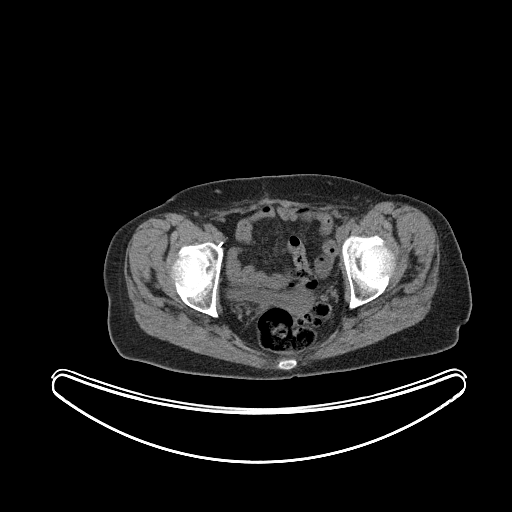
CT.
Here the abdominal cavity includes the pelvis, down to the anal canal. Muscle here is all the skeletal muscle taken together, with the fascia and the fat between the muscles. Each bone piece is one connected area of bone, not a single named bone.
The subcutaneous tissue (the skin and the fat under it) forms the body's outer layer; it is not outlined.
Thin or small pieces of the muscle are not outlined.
Outlined structures:
torso: [[301,173],[345,177],[387,193],[409,195],[432,205],[445,216],[459,244],[472,296],[469,319],[460,327],[454,346],[430,355],[349,371],[280,380],[181,373],[126,359],[116,351],[107,328],[103,264],[108,244],[121,225],[193,185],[235,177]]
bones 1: [[208,241],[213,242],[215,244],[223,241],[222,244],[223,258],[219,274],[219,283],[216,293],[216,310],[218,313],[218,317],[216,318],[188,306],[181,299],[177,293],[174,285],[174,281],[170,274],[171,266],[178,255],[179,249],[183,245],[193,245]]
bones 2: [[376,234],[384,240],[385,245],[395,256],[395,267],[389,279],[388,284],[381,294],[366,303],[364,303],[353,309],[349,309],[350,287],[349,286],[349,281],[347,277],[345,266],[343,262],[343,258],[341,254],[342,243],[350,235],[366,236],[367,237]]
bones 3: [[281,358],[295,358],[297,360],[297,364],[296,365],[296,366],[295,367],[294,367],[293,368],[292,368],[291,369],[289,369],[288,370],[284,370],[283,369],[279,369],[277,367],[277,363],[278,362],[278,361]]
abdominal cavity: [[271,204],[329,210],[337,217],[339,224],[335,235],[341,244],[339,266],[343,278],[342,312],[335,329],[325,339],[302,351],[276,357],[248,345],[230,328],[225,319],[219,290],[224,258],[223,244],[226,238],[219,229],[225,216],[234,213],[243,214]]
muscle: [[298,194],[359,209],[392,201],[413,206],[429,218],[437,233],[440,263],[430,309],[422,320],[375,343],[306,365],[297,366],[295,357],[281,357],[278,369],[196,353],[139,326],[127,293],[124,260],[128,242],[142,222],[167,212],[220,209],[243,200]]; inner edge: [[271,204],[329,210],[339,221],[340,244],[350,235],[376,234],[395,256],[384,291],[349,309],[341,255],[339,323],[325,339],[276,357],[248,345],[230,328],[218,288],[215,318],[188,306],[170,274],[183,245],[217,244],[226,238],[219,229],[225,216]]